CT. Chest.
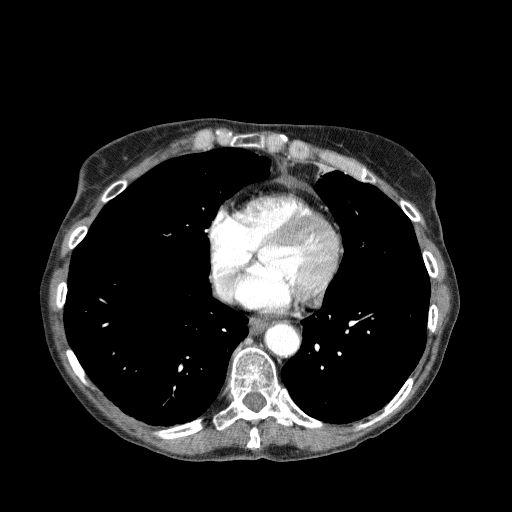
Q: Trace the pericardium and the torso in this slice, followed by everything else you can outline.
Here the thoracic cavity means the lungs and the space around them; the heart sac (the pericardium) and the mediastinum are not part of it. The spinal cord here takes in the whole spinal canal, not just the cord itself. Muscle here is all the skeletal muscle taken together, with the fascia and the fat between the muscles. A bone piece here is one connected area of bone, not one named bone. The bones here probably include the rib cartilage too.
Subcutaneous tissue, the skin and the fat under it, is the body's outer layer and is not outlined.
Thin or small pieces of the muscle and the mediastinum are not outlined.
A: The pericardium is outlined by 276 176; 292 176; 311 188; 319 201; 327 207; 337 224; 343 247; 343 254; 337 271; 325 290; 320 307; 302 318; 293 321; 273 321; 253 317; 218 299; 214 295; 212 283; 210 281; 210 240; 207 230; 220 208; 242 190; 265 182. The torso is outlined by 202 117; 365 130; 406 148; 434 180; 435 208; 459 290; 457 319; 438 372; 418 403; 396 424; 352 449; 282 462; 265 458; 171 458; 124 440; 98 422; 78 401; 52 361; 42 326; 39 285; 55 235; 76 195; 82 163; 128 133. The spinal cord is outlined by 252 392; 257 392; 258 393; 259 393; 265 399; 265 404; 260 409; 259 409; 257 411; 252 410; 250 408; 249 408; 244 403; 244 402; 243 401; 243 400; 244 399; 244 398; 246 396; 246 395; 247 394; 248 394; 249 393; 251 393. The thoracic cavity appears in 2 outlined pieces: piece 1: 218 146; 245 148; 269 159; 268 175; 244 185; 226 199; 206 230; 211 295; 247 317; 247 334; 233 350; 226 384; 205 414; 170 426; 150 425; 124 413; 108 399; 70 346; 64 323; 70 261; 73 250; 104 205; 130 183; 164 160; piece 2: 321 162; 330 164; 358 181; 377 186; 399 206; 413 224; 430 284; 426 340; 417 364; 381 409; 347 423; 324 422; 307 414; 292 399; 278 373; 300 348; 303 338; 301 320; 315 314; 321 307; 344 254; 340 228; 314 189. The bones appear in 12 outlined pieces: piece 1: 238 346; 263 350; 273 360; 279 381; 295 404; 307 415; 323 422; 324 426; 310 428; 296 423; 285 426; 273 416; 268 416; 256 424; 260 445; 253 449; 246 446; 252 425; 249 421; 239 418; 218 430; 210 417; 227 384; 230 360, around a hole outlined by 252 392; 257 392; 258 393; 259 393; 265 399; 265 404; 260 409; 259 409; 257 411; 252 410; 250 408; 249 408; 244 403; 244 402; 243 401; 243 400; 244 399; 244 398; 246 396; 246 395; 247 394; 248 394; 249 393; 251 393; piece 2: 205 128; 213 131; 218 128; 227 129; 234 134; 279 132; 285 134; 290 140; 296 139; 306 143; 312 153; 306 160; 297 160; 287 158; 285 150; 273 154; 265 149; 255 147; 219 146; 215 143; 207 150; 194 151; 192 140; 200 130; piece 3: 325 149; 333 150; 340 154; 347 156; 364 165; 376 176; 378 179; 377 182; 375 184; 373 184; 369 182; 364 182; 358 180; 351 175; 345 173; 343 171; 334 167; 330 163; 325 161; 320 161; 318 160; 317 154; 321 150; 324 150; piece 4: 410 375; 412 375; 415 377; 413 384; 411 387; 411 389; 406 397; 395 409; 373 424; 356 431; 355 430; 353 430; 353 428; 357 424; 359 423; 363 423; 366 421; 368 421; 371 418; 378 414; 381 411; 382 408; 397 393; piece 5: 202 416; 204 417; 203 427; 200 430; 194 433; 192 433; 188 435; 185 435; 181 437; 172 438; 171 439; 163 439; 162 438; 157 437; 152 434; 152 432; 154 430; 157 430; 161 428; 170 427; 174 425; 183 424; 187 422; 190 422; piece 6: 68 347; 70 347; 71 348; 74 354; 76 356; 79 363; 83 368; 87 377; 89 378; 89 379; 96 387; 96 388; 94 390; 90 387; 85 385; 81 381; 81 380; 72 369; 67 359; 67 357; 65 354; 65 350; piece 7: 120 179; 126 179; 129 182; 129 184; 121 192; 120 192; 118 194; 117 194; 114 197; 113 197; 105 203; 103 203; 100 200; 100 196; 102 194; 102 193; 104 191; 104 190; 105 190; 113 182; 114 182; 117 180; 119 180; piece 8: 400 198; 402 198; 403 199; 408 201; 419 212; 421 217; 423 219; 423 220; 424 221; 424 223; 423 224; 422 224; 420 222; 413 222; 408 217; 408 216; 403 211; 403 210; 400 207; 400 206; 393 199; 394 199; 395 200; 398 200; piece 9: 423 249; 427 249; 429 250; 432 253; 433 256; 436 260; 437 266; 438 267; 438 277; 437 278; 430 278; 428 274; 428 272; 427 271; 427 269; 426 268; 426 266; 425 265; 425 263; 424 262; 424 260; 422 256; 422 250; piece 10: 82 224; 84 224; 88 226; 88 229; 87 230; 87 232; 86 234; 81 240; 81 241; 72 250; 67 250; 67 245; 68 244; 68 240; 69 239; 69 237; 70 236; 70 234; 71 232; 76 227; piece 11: 61 280; 64 280; 65 281; 66 281; 66 283; 67 284; 67 292; 66 293; 66 297; 65 298; 65 303; 64 304; 64 305; 63 306; 63 310; 62 311; 61 310; 60 310; 57 307; 57 306; 56 305; 56 288; 57 287; 57 284; piece 12: 431 303; 434 303; 437 306; 437 309; 438 310; 438 317; 437 318; 437 322; 436 323; 436 327; 435 328; 435 331; 433 333; 429 333; 428 332; 428 330; 427 329; 427 322; 428 321; 428 312; 429 311; 429 306; 430 305; 430 304. The muscle appears in 4 outlined pieces: piece 1: 375 174; 399 190; 417 206; 430 229; 446 266; 447 282; 452 294; 451 309; 432 368; 413 397; 402 409; 382 425; 353 441; 319 451; 299 449; 287 444; 270 445; 262 450; 252 450; 261 445; 257 424; 268 417; 273 417; 278 424; 285 427; 296 424; 305 428; 320 429; 325 426; 325 423; 347 424; 361 420; 380 410; 368 420; 357 423; 352 428; 356 432; 373 425; 390 414; 412 389; 416 377; 411 374; 425 349; 427 333; 433 334; 437 327; 439 310; 434 302; 430 303; 430 279; 439 277; 439 267; 433 253; 427 248; 420 248; 413 223; 422 225; 425 223; 425 221; 420 212; 419 211; 408 200; 402 197; 392 198; 376 185; 379 179; piece 2: 103 190; 99 196; 99 200; 104 204; 90 225; 84 223; 79 224; 69 234; 66 250; 72 252; 68 266; 67 280; 61 279; 55 288; 55 305; 60 311; 63 311; 65 335; 69 344; 64 350; 64 354; 71 369; 85 386; 94 391; 97 388; 124 414; 147 425; 163 427; 154 429; 151 432; 157 438; 171 440; 200 431; 204 427; 204 415; 214 405; 209 417; 211 423; 218 431; 224 430; 239 419; 251 424; 248 432; 249 438; 245 445; 250 449; 232 446; 221 447; 193 455; 173 453; 161 449; 128 434; 104 416; 66 372; 58 356; 50 326; 48 309; 49 282; 57 263; 57 257; 66 230; 75 220; 88 213; 94 200; piece 3: 201 128; 204 128; 200 129; 194 135; 191 140; 191 148; 193 151; 187 151; 184 153; 174 155; 164 159; 144 172; 131 182; 126 178; 120 178; 115 180; 129 168; 134 166; 144 158; 165 146; 173 140; 179 138; 189 132; 198 130; piece 4: 288 136; 291 136; 294 138; 297 138; 301 139; 304 141; 312 143; 317 146; 320 146; 324 148; 328 148; 321 149; 316 154; 317 159; 308 159; 309 159; 312 156; 312 154; 313 153; 310 146; 306 142; 300 139; 297 139; 296 138; 293 139; 290 139. The mediastinum appears in 2 outlined pieces: piece 1: 242 312; 256 319; 264 319; 273 322; 293 322; 300 320; 300 323; 302 326; 302 338; 300 346; 295 354; 287 360; 279 371; 278 371; 274 360; 263 349; 253 345; 248 345; 244 347; 239 345; 246 338; 248 334; 247 326; 248 317; piece 2: 246 148; 265 150; 273 155; 281 154; 287 159; 295 162; 307 160; 319 161; 320 162; 317 165; 318 174; 313 189; 321 201; 307 183; 292 175; 276 175; 237 192; 250 183; 264 180; 270 173; 270 159; 266 156; 258 155.